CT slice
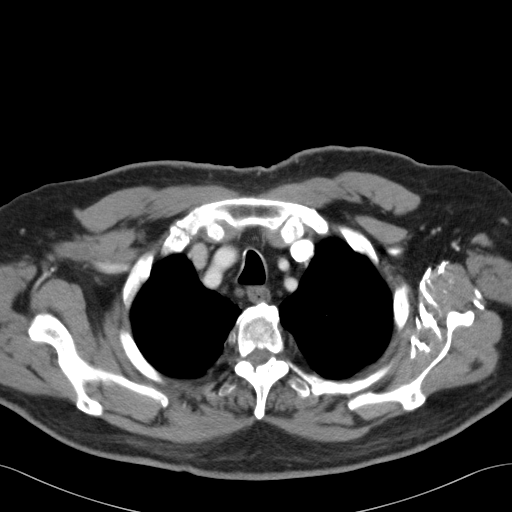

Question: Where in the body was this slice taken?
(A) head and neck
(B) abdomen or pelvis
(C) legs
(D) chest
Answer: (D) chest
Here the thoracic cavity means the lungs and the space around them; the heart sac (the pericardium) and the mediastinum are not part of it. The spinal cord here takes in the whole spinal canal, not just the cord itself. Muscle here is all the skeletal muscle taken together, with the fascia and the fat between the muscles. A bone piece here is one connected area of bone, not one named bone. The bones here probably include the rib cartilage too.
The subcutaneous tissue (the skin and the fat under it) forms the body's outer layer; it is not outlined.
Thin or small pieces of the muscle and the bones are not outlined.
The muscle appears in 3 outlined pieces: piece 1: [[346,170],[401,184],[446,227],[485,232],[510,255],[500,356],[481,381],[427,398],[421,388],[472,309],[446,313],[440,349],[410,381],[367,389],[392,360],[346,380],[404,327],[408,284],[392,293],[359,229],[337,223],[342,238],[329,235],[314,207],[243,195],[195,206],[169,227],[157,260],[153,248],[136,259],[121,289],[131,332],[118,332],[130,363],[157,383],[192,380],[228,345],[257,420],[291,372],[301,398],[355,394],[351,411],[396,402],[410,412],[338,442],[262,420],[200,443],[140,435],[98,417],[86,384],[115,384],[162,408],[167,395],[89,363],[47,311],[26,332],[55,350],[74,405],[0,383],[0,263],[65,226],[73,208],[140,185],[258,193]], around holes outlined by [[227,381],[228,381],[231,383],[233,383],[234,384],[235,384],[235,387],[229,393],[228,393],[225,395],[223,395],[222,396],[220,396],[217,393],[217,390],[218,389],[218,388],[220,386],[220,385],[221,385],[224,382],[226,382]] and by [[212,382],[215,382],[215,384],[209,390],[209,391],[208,392],[208,393],[207,393],[206,394],[205,393],[204,393],[203,392],[203,391],[202,390],[202,388],[204,386],[205,386],[206,385],[207,385],[208,384],[209,384],[210,383],[211,383]]; piece 2: [[222,222],[226,223],[229,226],[237,230],[237,232],[232,235],[228,239],[223,242],[211,242],[200,237],[189,244],[191,241],[191,239],[196,235],[201,229],[204,230],[205,234],[210,239],[213,240],[215,242],[219,242],[226,236],[226,230],[222,224]]; piece 3: [[262,227],[263,228],[265,228],[269,230],[271,232],[274,232],[275,231],[277,231],[278,232],[279,237],[281,241],[283,243],[283,244],[282,245],[274,245],[270,243],[267,239],[266,237],[266,235],[264,234],[263,232],[262,232],[260,228]]. The thoracic cavity appears in 2 outlined pieces: piece 1: [[327,236],[335,236],[343,239],[354,252],[367,257],[383,277],[392,294],[393,329],[387,346],[383,353],[374,362],[344,379],[322,377],[297,363],[287,345],[282,328],[280,327],[279,306],[285,298],[290,296],[297,289],[300,280],[314,255],[316,245]]; piece 2: [[183,252],[191,262],[199,281],[206,288],[229,298],[237,304],[241,310],[227,335],[225,346],[220,357],[204,375],[192,379],[170,377],[164,375],[154,367],[139,349],[132,334],[130,321],[130,310],[133,302],[143,284],[149,278],[154,262],[160,258]]. The torso is outlined by [[327,144],[368,145],[397,151],[428,164],[448,163],[478,169],[511,190],[510,399],[459,433],[416,453],[341,473],[270,480],[211,478],[96,456],[58,441],[0,404],[1,205],[45,183],[81,178],[137,161],[184,159],[237,167],[269,166],[299,150]]. The spinal cord is outlined by [[255,349],[266,349],[271,354],[270,355],[270,356],[269,357],[269,358],[265,362],[264,362],[263,363],[262,363],[261,364],[259,364],[258,365],[257,365],[256,366],[254,366],[250,362],[250,361],[248,359],[248,356],[250,354],[250,353],[251,353]]. The bones appear in 8 outlined pieces: piece 1: [[261,301],[277,307],[287,353],[308,372],[350,381],[392,361],[373,392],[420,374],[444,343],[449,311],[474,318],[453,330],[413,410],[396,401],[351,410],[355,393],[301,397],[287,382],[291,371],[271,386],[257,419],[255,390],[233,371],[226,340]] with a hole at [[255,349],[266,349],[271,354],[270,355],[270,356],[269,357],[269,358],[265,362],[264,362],[263,363],[262,363],[261,364],[259,364],[258,365],[257,365],[256,366],[254,366],[250,362],[250,361],[248,359],[248,356],[250,354],[250,353],[251,353]]; piece 2: [[243,196],[290,201],[314,208],[327,221],[328,235],[322,236],[307,227],[302,236],[285,244],[277,230],[271,231],[258,225],[246,226],[238,230],[222,221],[225,236],[219,241],[210,238],[201,228],[182,252],[160,256],[170,227],[192,209],[204,203]]; piece 3: [[45,312],[57,317],[67,328],[78,354],[89,364],[153,386],[166,395],[167,406],[162,407],[157,400],[115,383],[89,381],[85,390],[100,403],[102,414],[94,416],[78,409],[76,392],[58,364],[56,350],[48,343],[32,340],[27,332],[33,317]]; piece 4: [[151,249],[154,250],[154,255],[153,256],[154,258],[153,259],[153,263],[150,270],[149,276],[142,284],[141,287],[137,292],[132,302],[130,309],[127,310],[125,307],[122,298],[122,289],[123,286],[127,279],[129,273],[134,266],[137,259],[144,252]]; piece 5: [[121,329],[125,329],[129,331],[131,333],[132,337],[138,349],[145,358],[145,359],[154,368],[155,368],[164,376],[165,378],[164,382],[162,382],[161,383],[160,382],[157,382],[150,378],[146,377],[131,363],[131,362],[126,356],[119,339],[119,332]]; piece 6: [[337,224],[347,225],[350,227],[359,230],[364,234],[364,235],[369,240],[371,246],[378,259],[378,265],[377,267],[372,263],[367,256],[364,254],[361,254],[358,252],[354,251],[350,247],[342,237],[340,232],[338,230],[336,226]]; piece 7: [[402,283],[406,283],[408,286],[408,292],[407,293],[407,295],[408,296],[408,299],[409,300],[409,303],[410,304],[410,312],[409,313],[409,315],[403,327],[399,331],[397,331],[394,328],[394,324],[393,323],[393,292],[395,290],[396,287],[400,285]]; piece 8: [[227,381],[228,381],[231,383],[233,383],[234,384],[235,384],[235,387],[229,393],[228,393],[225,395],[223,395],[222,396],[220,396],[217,393],[217,390],[218,389],[218,388],[220,386],[220,385],[221,385],[224,382],[226,382]]. The mediastinum is outlined by [[255,226],[261,227],[261,232],[274,246],[288,244],[305,233],[315,233],[323,238],[315,245],[313,255],[296,289],[285,297],[278,307],[261,300],[242,310],[229,297],[206,287],[200,281],[184,251],[188,245],[200,238],[211,243],[223,243],[238,231]].